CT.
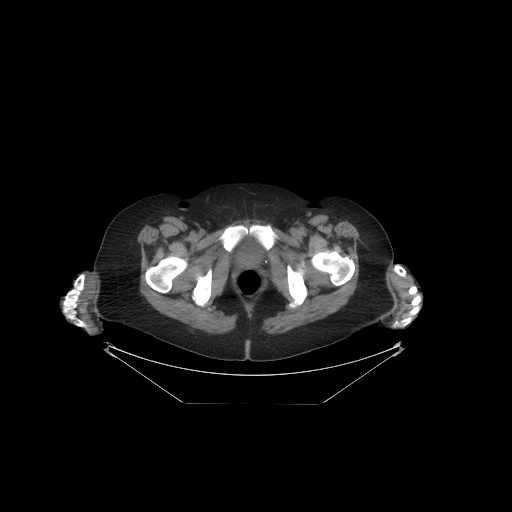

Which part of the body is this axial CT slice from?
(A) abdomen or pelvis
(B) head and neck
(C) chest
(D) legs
Answer: (A) abdomen or pelvis
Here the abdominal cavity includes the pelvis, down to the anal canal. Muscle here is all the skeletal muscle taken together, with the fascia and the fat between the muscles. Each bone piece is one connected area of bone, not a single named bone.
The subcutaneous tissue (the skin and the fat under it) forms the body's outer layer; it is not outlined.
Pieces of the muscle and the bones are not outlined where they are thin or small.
The right arm is outlined by 83 269; 92 270; 95 273; 97 278; 97 291; 95 297; 95 304; 97 308; 97 313; 99 318; 103 323; 104 327; 102 333; 97 335; 89 335; 82 332; 78 327; 69 324; 60 316; 58 309; 58 299; 63 290; 72 277; 76 273. The bones appear in 8 outlined pieces: piece 1: 326 250; 337 251; 342 256; 348 256; 353 260; 355 265; 355 269; 353 275; 345 283; 338 286; 335 286; 330 281; 329 275; 326 272; 320 271; 316 269; 312 265; 310 261; 311 257; 315 253; 319 251; 325 251; piece 2: 239 224; 242 224; 247 227; 252 224; 270 225; 273 231; 278 236; 278 238; 275 240; 273 246; 268 250; 266 250; 253 236; 248 234; 244 236; 233 249; 229 252; 223 247; 222 242; 219 240; 219 237; 226 227; 230 225; 238 225; piece 3: 168 256; 177 256; 178 257; 180 257; 181 258; 185 259; 187 262; 187 266; 181 273; 180 273; 173 279; 172 281; 172 286; 171 287; 171 289; 167 293; 162 293; 153 289; 148 285; 145 280; 145 272; 149 267; 157 264; 161 259; piece 4: 82 273; 84 274; 83 289; 80 292; 76 301; 75 310; 77 314; 76 315; 81 320; 86 323; 88 326; 88 329; 87 330; 82 327; 76 326; 71 320; 68 319; 65 316; 62 311; 63 301; 65 295; 73 287; 74 281; 76 278; piece 5: 288 264; 289 264; 294 270; 296 270; 299 267; 303 270; 304 272; 303 273; 304 282; 307 288; 307 295; 304 299; 303 302; 300 305; 294 308; 292 308; 288 305; 289 302; 292 300; 292 298; 288 290; 288 283; 287 282; 287 265; piece 6: 209 268; 211 269; 211 295; 208 301; 206 303; 206 304; 204 306; 200 306; 199 305; 197 305; 192 299; 192 291; 196 283; 196 277; 197 275; 198 274; 199 275; 204 275; 207 272; piece 7: 412 285; 415 285; 417 287; 417 290; 421 295; 420 309; 415 315; 412 321; 406 326; 402 328; 392 329; 389 327; 390 323; 394 319; 398 319; 399 320; 406 317; 408 311; 409 311; 412 307; 410 303; 413 296; 408 292; 409 288; piece 8: 396 264; 398 264; 399 265; 400 265; 402 267; 403 267; 404 268; 404 269; 406 271; 406 274; 405 275; 405 276; 401 276; 400 275; 399 275; 398 274; 397 274; 393 270; 393 268; 394 267; 394 266. The left arm is outlined by 395 263; 402 263; 408 266; 412 273; 420 283; 423 290; 423 305; 419 312; 419 315; 409 327; 404 329; 390 329; 389 328; 378 327; 378 324; 381 319; 388 314; 395 307; 395 298; 391 291; 390 283; 389 282; 390 268. The abdominal cavity is outlined by 248 235; 253 237; 263 248; 267 251; 267 257; 269 263; 268 271; 265 268; 262 270; 262 272; 264 274; 265 277; 262 289; 254 299; 252 301; 249 302; 247 302; 238 291; 234 284; 232 273; 230 271; 230 253; 238 243; 244 237. The torso is outlined by 227 182; 269 183; 308 199; 340 195; 376 217; 389 237; 395 262; 389 268; 388 279; 394 307; 377 327; 294 357; 254 362; 208 358; 132 327; 102 321; 96 304; 98 278; 91 269; 111 219; 148 195; 175 192; 192 196. The muscle appears in 3 outlined pieces: piece 1: 311 212; 340 214; 350 219; 361 233; 361 244; 357 246; 360 269; 357 287; 343 307; 325 318; 284 333; 268 334; 261 329; 262 321; 282 310; 285 298; 270 281; 254 308; 254 318; 249 321; 228 280; 215 301; 226 314; 238 315; 236 327; 223 334; 209 334; 160 313; 140 294; 141 255; 137 235; 145 221; 160 215; 181 215; 195 220; 204 229; 215 231; 234 220; 256 218; 285 232, around holes outlined by 239 224; 247 227; 252 224; 270 225; 278 236; 273 246; 267 251; 269 268; 268 271; 265 268; 262 270; 265 277; 263 287; 254 299; 249 302; 245 300; 234 284; 230 271; 230 253; 223 247; 222 242; 219 240; 220 235; 226 227 and by 326 250; 337 251; 342 256; 348 256; 353 260; 355 265; 355 269; 353 275; 345 283; 338 286; 335 286; 330 281; 329 275; 326 272; 320 271; 316 269; 312 265; 310 261; 311 257; 315 253; 319 251; 325 251 and by 168 256; 177 256; 178 257; 180 257; 181 258; 185 259; 187 262; 187 266; 181 273; 180 273; 173 279; 172 281; 172 286; 171 287; 171 289; 167 293; 162 293; 153 289; 148 285; 145 280; 145 272; 149 267; 157 264; 161 259 and by 288 264; 289 264; 294 270; 296 270; 299 267; 303 270; 304 272; 303 273; 304 282; 307 288; 307 295; 304 299; 303 302; 300 305; 294 308; 292 308; 288 305; 289 302; 292 300; 292 298; 288 290; 288 283; 287 282; 287 265 and by 209 268; 211 269; 211 295; 208 301; 206 303; 206 304; 204 306; 200 306; 199 305; 197 305; 192 299; 192 291; 196 283; 196 277; 197 275; 198 274; 199 275; 204 275; 207 272; piece 2: 85 274; 93 274; 96 282; 95 293; 91 302; 91 315; 94 323; 98 326; 99 328; 99 330; 97 332; 91 332; 89 331; 88 330; 89 329; 89 326; 87 323; 81 319; 77 315; 78 314; 76 310; 77 301; 81 292; 84 289; piece 3: 393 265; 392 270; 397 275; 401 277; 405 277; 407 273; 412 278; 414 284; 412 284; 407 290; 407 292; 412 297; 409 303; 411 307; 407 311; 406 316; 399 319; 394 318; 391 321; 401 304; 400 298; 393 287; 389 277; 389 272.